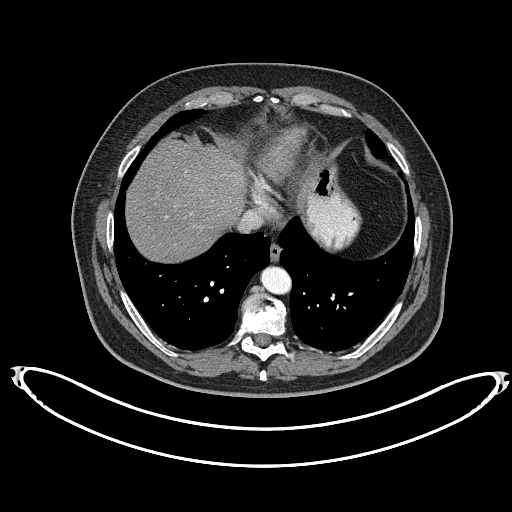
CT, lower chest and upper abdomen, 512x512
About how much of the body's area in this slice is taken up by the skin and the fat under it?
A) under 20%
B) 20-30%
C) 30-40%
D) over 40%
B) 20-30%
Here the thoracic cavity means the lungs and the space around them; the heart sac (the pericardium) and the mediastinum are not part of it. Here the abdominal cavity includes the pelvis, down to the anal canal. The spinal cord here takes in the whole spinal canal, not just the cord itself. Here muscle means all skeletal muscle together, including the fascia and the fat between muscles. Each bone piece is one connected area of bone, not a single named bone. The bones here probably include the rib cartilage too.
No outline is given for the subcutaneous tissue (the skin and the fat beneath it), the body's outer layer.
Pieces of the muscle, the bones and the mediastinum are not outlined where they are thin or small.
{"pericardium":[[[239,232],[252,232],[260,224],[272,225],[282,220],[283,205],[289,209],[292,205],[293,196],[305,170],[306,161],[300,153],[309,141],[319,131],[322,131],[313,121],[299,116],[274,118],[266,120],[248,135],[246,161],[250,195],[234,227],[235,231]]],"torso":[[[237,397],[311,395],[371,380],[417,357],[441,323],[452,237],[447,186],[433,153],[404,109],[384,89],[363,77],[283,62],[218,63],[168,74],[124,104],[99,138],[81,173],[72,204],[72,242],[85,306],[100,341],[118,360],[156,379],[193,391]]],"abdominal_cavity":[[[167,264],[181,263],[196,257],[225,233],[238,232],[233,227],[249,195],[245,161],[246,137],[266,119],[301,116],[291,105],[264,102],[261,109],[250,114],[235,129],[220,130],[191,122],[160,138],[148,153],[126,190],[126,227],[132,243],[143,257]],[[353,261],[377,258],[391,249],[401,237],[407,222],[403,180],[397,173],[399,168],[396,163],[374,157],[363,137],[354,136],[341,142],[332,142],[323,132],[319,132],[301,153],[307,161],[307,166],[292,206],[295,215],[299,217],[308,234],[320,248]]],"muscle":[{"outer":[[266,381],[272,379],[281,379],[285,381],[288,381],[296,379],[301,375],[328,375],[329,374],[334,374],[354,369],[376,352],[379,351],[393,338],[418,310],[426,298],[428,293],[429,272],[430,271],[430,257],[431,256],[431,240],[429,239],[430,217],[426,203],[423,199],[421,191],[419,188],[419,186],[417,184],[414,172],[406,158],[405,150],[402,145],[380,121],[371,114],[357,108],[351,102],[335,94],[310,86],[299,85],[298,86],[277,87],[270,89],[265,89],[255,86],[209,86],[201,88],[185,95],[173,104],[158,113],[146,123],[129,142],[125,149],[125,152],[110,173],[109,179],[103,192],[103,196],[97,206],[97,209],[95,213],[95,227],[93,231],[92,245],[91,246],[91,260],[94,270],[95,281],[98,288],[98,291],[102,299],[113,316],[120,324],[141,344],[174,369],[178,371],[186,372],[192,375],[207,376],[208,377],[216,376],[223,373],[234,371],[237,374],[238,377],[240,378],[257,379],[258,380],[258,373],[262,368],[264,368],[267,372],[267,376],[268,377],[268,379]],"hole":[[262,361],[274,353],[294,360],[282,339],[287,331],[324,351],[353,347],[339,359],[368,350],[401,309],[402,300],[396,300],[418,253],[422,223],[403,176],[409,175],[404,157],[349,111],[308,93],[293,95],[289,104],[275,96],[265,103],[262,95],[238,104],[221,91],[187,101],[142,148],[137,144],[127,152],[117,172],[115,208],[107,213],[106,240],[125,308],[164,353],[179,355],[167,343],[195,351],[227,340]]}],"thoracic_cavity":[[[193,351],[231,337],[247,283],[269,262],[269,239],[260,232],[249,236],[228,233],[196,258],[159,264],[137,252],[123,212],[125,190],[147,153],[160,137],[200,117],[204,109],[178,112],[149,139],[123,177],[114,209],[114,255],[124,289],[158,337]],[[324,351],[345,350],[360,343],[384,318],[403,288],[412,258],[415,215],[400,170],[398,173],[407,193],[408,222],[400,240],[383,256],[353,262],[328,254],[311,239],[296,216],[279,235],[278,241],[283,248],[280,261],[292,280],[287,329],[302,342]],[[390,161],[394,161],[394,160],[393,159],[393,158],[389,154],[389,153],[386,149],[383,142],[370,129],[367,129],[365,132],[365,139],[366,140],[366,143],[368,145],[368,147],[369,147],[370,148],[373,155],[378,158],[381,158],[382,159],[388,159]]],"mediastinum":[[[288,310],[291,280],[279,261],[282,248],[277,239],[281,230],[294,216],[294,213],[292,207],[289,210],[284,205],[284,218],[280,223],[272,226],[260,225],[253,232],[260,231],[270,239],[270,262],[251,278],[242,301],[251,293],[264,292],[279,298]],[[332,141],[341,141],[342,139],[345,139],[346,137],[351,137],[354,135],[361,135],[364,137],[364,132],[367,127],[361,122],[353,118],[349,119],[337,116],[330,116],[322,114],[317,111],[292,106],[292,108],[302,117],[305,116],[317,123],[324,133]],[[220,129],[235,128],[244,119],[244,118],[250,113],[257,109],[261,108],[264,105],[263,102],[254,103],[252,101],[249,100],[235,105],[230,105],[224,107],[205,108],[205,113],[200,118],[193,121],[199,121],[202,123],[212,125]]],"spinal_cord":[[[259,346],[267,346],[270,343],[271,343],[272,342],[272,337],[270,335],[269,335],[268,334],[265,334],[264,333],[259,333],[258,334],[256,334],[254,336],[254,340],[255,341],[255,343],[257,345],[258,345]]],"bones":[{"outer":[[262,361],[266,360],[274,353],[283,354],[293,361],[294,353],[286,349],[282,339],[287,331],[285,324],[287,310],[285,305],[279,299],[267,294],[254,293],[249,295],[242,302],[241,319],[238,328],[226,345],[231,346],[239,343],[242,350],[255,354]],"hole":[[259,346],[267,346],[270,343],[271,343],[272,342],[272,337],[270,335],[269,335],[268,334],[265,334],[264,333],[259,333],[258,334],[256,334],[254,336],[254,340],[255,341],[255,343],[257,345],[258,345]]},[[339,359],[356,358],[368,350],[388,330],[390,326],[393,323],[401,309],[401,307],[403,303],[402,300],[399,300],[395,303],[393,307],[390,310],[381,323],[360,344],[356,346],[356,347],[354,348],[353,350],[345,354],[338,356],[337,357]],[[174,357],[178,356],[179,354],[177,352],[170,349],[169,347],[166,345],[166,343],[164,341],[158,338],[153,333],[133,305],[125,291],[123,289],[121,289],[119,291],[119,293],[124,304],[124,306],[129,315],[142,333],[164,353],[169,356],[173,356]],[[349,118],[352,117],[352,114],[349,111],[342,107],[339,107],[327,103],[322,103],[317,97],[312,94],[298,93],[293,95],[291,97],[290,103],[292,105],[305,107],[310,104],[312,104],[317,107],[316,110],[322,113],[325,113],[330,115],[343,116]],[[184,109],[204,108],[207,105],[210,105],[211,104],[219,105],[220,106],[223,105],[229,105],[234,102],[237,103],[238,100],[236,99],[231,93],[221,91],[220,92],[216,92],[210,94],[208,96],[202,96],[187,101],[184,103],[183,105]],[[121,180],[126,170],[128,168],[128,167],[130,165],[130,164],[132,162],[134,158],[139,152],[141,148],[141,145],[140,144],[137,144],[133,148],[132,148],[128,152],[127,152],[127,153],[122,159],[119,165],[118,171],[117,172],[117,177]],[[407,176],[409,175],[409,169],[408,168],[408,166],[406,163],[406,161],[404,157],[399,151],[399,150],[390,141],[386,141],[384,143],[387,149],[389,151],[390,154],[394,158],[395,161],[399,166],[402,172],[405,175]],[[112,254],[113,254],[113,239],[114,238],[113,237],[114,236],[113,235],[113,212],[111,210],[109,210],[108,211],[108,212],[107,213],[107,217],[106,218],[106,240],[107,241],[107,245],[108,246],[108,248],[109,249],[109,251]],[[413,258],[414,258],[418,253],[418,251],[419,250],[419,246],[421,241],[422,223],[421,222],[421,219],[419,215],[416,215],[415,216],[415,229],[414,230],[414,237],[413,238],[413,246],[414,247],[414,251],[412,256]]]}